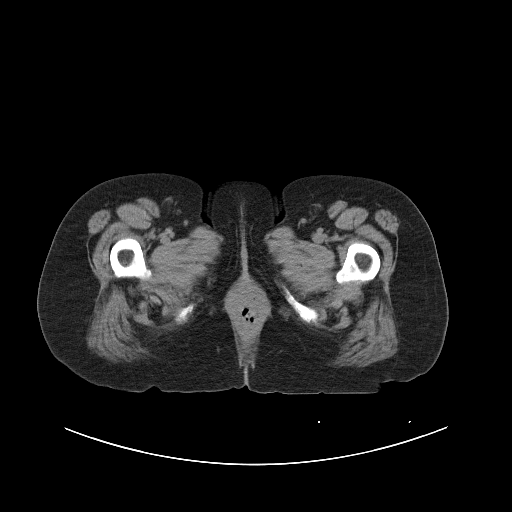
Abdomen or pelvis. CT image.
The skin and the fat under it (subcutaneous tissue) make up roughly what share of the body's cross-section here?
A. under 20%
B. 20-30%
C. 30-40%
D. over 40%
D. over 40%
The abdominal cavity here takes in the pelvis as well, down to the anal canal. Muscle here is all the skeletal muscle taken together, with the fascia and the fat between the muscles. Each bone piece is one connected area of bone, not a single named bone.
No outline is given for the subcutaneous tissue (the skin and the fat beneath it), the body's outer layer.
{"torso":[[[144,172],[183,175],[205,190],[253,180],[279,192],[294,179],[318,174],[397,187],[431,230],[445,284],[448,323],[435,363],[411,380],[385,382],[366,394],[257,393],[246,386],[127,392],[78,377],[52,355],[40,328],[42,268],[78,197],[107,179]]],"abdominal_cavity":[[[242,287],[249,287],[259,292],[263,296],[266,304],[265,311],[257,326],[257,329],[255,332],[253,341],[251,342],[251,345],[244,345],[240,341],[240,337],[238,335],[238,330],[236,327],[236,322],[234,320],[234,318],[228,307],[228,298],[230,294]]],"bones":[[[357,241],[368,243],[378,252],[380,258],[380,267],[379,270],[373,279],[366,282],[362,282],[361,283],[357,281],[350,281],[349,282],[339,283],[336,280],[335,277],[336,272],[342,266],[345,260],[346,254],[347,253],[347,249],[349,245],[351,243]],[[126,237],[131,237],[132,238],[134,238],[138,241],[143,253],[145,264],[151,271],[151,275],[148,279],[141,279],[137,277],[116,277],[115,276],[114,272],[111,267],[110,260],[109,259],[110,250],[112,245],[115,242],[116,242],[119,239],[125,238]],[[283,286],[286,287],[291,293],[291,294],[299,302],[314,309],[317,312],[318,314],[318,318],[315,322],[313,321],[310,321],[309,322],[307,322],[301,318],[301,317],[296,312],[294,308],[286,300],[284,296],[284,291],[283,290]],[[191,303],[193,303],[194,304],[194,308],[193,310],[191,312],[188,313],[186,315],[186,317],[185,319],[183,320],[181,320],[180,321],[177,321],[175,318],[176,317],[176,315],[178,311],[181,308],[183,307],[185,307]]],"muscle":[{"outer":[[133,196],[148,197],[155,201],[170,228],[179,230],[191,226],[205,226],[216,232],[222,237],[222,247],[211,296],[197,318],[164,346],[157,359],[126,367],[103,360],[87,347],[86,335],[99,282],[88,261],[84,246],[83,226],[91,212],[104,201]],"holes":[[[126,237],[131,237],[132,238],[134,238],[138,241],[143,253],[145,264],[151,271],[151,275],[148,279],[141,279],[137,277],[116,277],[115,276],[114,272],[111,267],[110,260],[109,259],[110,250],[112,245],[115,242],[116,242],[119,239],[125,238]],[[191,303],[193,303],[194,304],[194,308],[193,310],[191,312],[188,313],[186,315],[186,317],[185,319],[183,320],[181,320],[180,321],[177,321],[175,318],[176,317],[176,315],[178,311],[181,308],[183,307],[185,307]]]},{"outer":[[344,196],[378,201],[394,209],[400,218],[398,259],[389,283],[398,349],[397,353],[385,362],[363,367],[325,365],[324,363],[331,357],[327,346],[280,311],[277,288],[263,244],[268,233],[282,226],[289,226],[299,235],[310,233],[324,220],[330,203]],"holes":[[[357,241],[368,243],[378,252],[380,258],[380,267],[379,270],[373,279],[366,282],[362,282],[361,283],[357,281],[350,281],[349,282],[339,283],[336,280],[335,277],[336,272],[342,266],[345,260],[346,254],[347,253],[347,249],[349,245],[351,243]],[[283,286],[286,287],[291,293],[291,294],[299,302],[314,309],[317,312],[318,314],[318,318],[315,322],[313,321],[310,321],[309,322],[307,322],[301,318],[301,317],[296,312],[294,308],[286,300],[284,296],[284,291],[283,290]]]},{"outer":[[239,278],[248,278],[249,279],[250,278],[257,282],[265,291],[272,306],[271,316],[268,319],[264,327],[256,353],[251,358],[243,358],[239,355],[236,348],[233,330],[228,320],[226,312],[223,309],[224,306],[223,298],[226,292],[232,284]],"hole":[[242,287],[249,287],[259,292],[263,296],[266,304],[265,311],[257,326],[257,329],[255,332],[253,341],[251,342],[251,345],[244,345],[240,341],[240,337],[238,335],[238,330],[236,327],[236,322],[234,320],[234,318],[228,307],[228,298],[230,294]]}]}